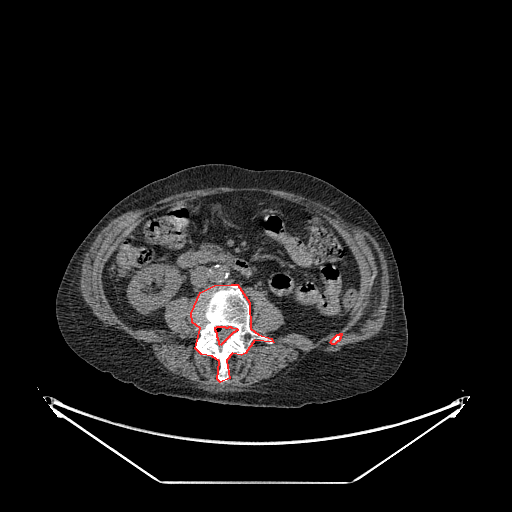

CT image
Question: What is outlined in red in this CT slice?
Answer: red: bones.
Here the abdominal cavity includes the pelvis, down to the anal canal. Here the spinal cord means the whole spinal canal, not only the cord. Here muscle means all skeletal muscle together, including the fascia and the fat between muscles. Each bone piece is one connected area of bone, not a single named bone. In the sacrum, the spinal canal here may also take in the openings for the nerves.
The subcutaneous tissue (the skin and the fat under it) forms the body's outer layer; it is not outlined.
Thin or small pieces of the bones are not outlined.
{"bones":[{"outer":[[231,284],[237,284],[249,302],[250,328],[258,334],[271,338],[273,342],[254,340],[245,353],[241,355],[232,353],[226,360],[229,378],[220,382],[217,379],[219,361],[212,356],[201,354],[195,348],[200,328],[192,322],[191,313],[200,292],[214,285]],"hole":[[217,326],[224,326],[225,327],[228,327],[229,326],[230,326],[231,327],[236,328],[237,329],[237,330],[236,330],[234,332],[233,332],[220,345],[219,344],[219,341],[218,340],[218,338],[217,337],[217,333],[215,330],[215,327],[216,327]]},[[340,333],[341,333],[341,335],[340,336],[340,338],[339,339],[339,340],[338,341],[337,341],[334,344],[332,344],[330,342],[331,341],[331,340],[337,334],[339,334]]],"torso":[[[208,163],[309,173],[333,184],[371,213],[392,248],[407,320],[407,351],[399,368],[389,379],[365,393],[297,408],[222,404],[147,393],[96,369],[68,346],[57,324],[55,298],[68,262],[85,236],[116,203],[135,190],[181,169]]],"spinal_cord":[[[217,326],[224,326],[225,327],[228,327],[229,326],[230,326],[231,327],[236,328],[237,329],[237,330],[236,330],[234,332],[233,332],[220,345],[219,344],[219,341],[218,340],[218,338],[217,337],[217,333],[215,330],[215,327],[216,327]]],"abdominal_cavity":[[[233,191],[273,194],[328,220],[359,266],[359,290],[346,326],[319,341],[296,332],[278,334],[282,311],[264,291],[247,287],[244,294],[237,283],[169,301],[163,313],[169,329],[135,327],[118,317],[105,297],[102,275],[126,236],[174,204]]],"muscle":[{"outer":[[216,186],[229,186],[230,187],[263,187],[264,188],[280,189],[285,191],[290,191],[297,194],[300,194],[315,201],[319,201],[321,203],[333,209],[342,217],[346,218],[364,227],[375,239],[381,248],[381,250],[384,255],[384,258],[386,261],[387,270],[389,275],[389,289],[390,291],[389,292],[389,298],[388,299],[388,306],[387,307],[386,318],[381,329],[375,335],[370,338],[361,341],[358,341],[355,343],[344,345],[338,351],[332,352],[331,353],[327,353],[326,352],[315,352],[314,353],[310,353],[304,357],[300,358],[293,362],[279,375],[268,379],[264,382],[260,383],[255,386],[194,387],[192,385],[180,381],[174,376],[168,373],[150,357],[139,341],[131,337],[123,330],[113,329],[105,325],[93,313],[92,310],[84,300],[80,290],[80,278],[81,277],[81,268],[82,267],[83,259],[85,254],[88,251],[99,232],[105,227],[111,220],[127,211],[134,210],[135,209],[140,209],[146,207],[164,197],[169,196],[183,190],[191,190],[192,189],[198,189],[199,188],[204,188],[205,187],[215,187]],"holes":[[[233,191],[273,194],[325,217],[359,266],[359,290],[346,326],[313,341],[276,333],[282,311],[247,287],[250,328],[273,342],[254,340],[232,353],[220,382],[219,361],[195,348],[195,297],[165,305],[169,329],[135,327],[108,302],[102,275],[145,218]],[[340,333],[341,333],[341,335],[340,336],[340,338],[339,339],[339,340],[338,341],[337,341],[334,344],[332,344],[330,342],[331,341],[331,340],[337,334],[339,334]]]}]}